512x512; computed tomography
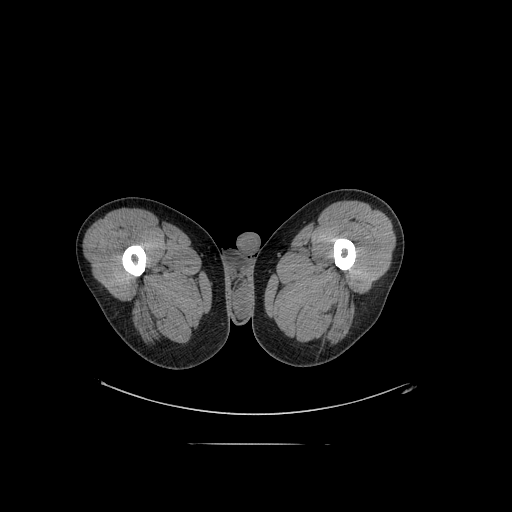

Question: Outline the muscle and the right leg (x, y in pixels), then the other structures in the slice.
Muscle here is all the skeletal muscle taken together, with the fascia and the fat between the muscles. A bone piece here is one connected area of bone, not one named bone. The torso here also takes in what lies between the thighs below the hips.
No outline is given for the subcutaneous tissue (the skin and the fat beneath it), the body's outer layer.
Answer: {"muscle":[{"outer":[[345,199],[364,201],[373,208],[381,210],[391,220],[396,237],[392,261],[385,274],[364,297],[355,314],[349,333],[341,341],[321,347],[301,347],[283,337],[265,318],[263,305],[264,290],[273,267],[289,248],[293,237],[326,206],[335,201]],"hole":[[337,237],[344,237],[345,238],[347,238],[351,240],[355,246],[355,248],[356,249],[356,257],[355,258],[355,261],[350,269],[348,270],[341,270],[338,268],[334,263],[334,259],[332,256],[333,254],[333,241],[332,240],[334,238],[336,238]]},{"outer":[[120,207],[139,207],[167,218],[187,230],[204,247],[215,282],[214,297],[201,334],[191,344],[164,350],[151,350],[145,347],[140,337],[135,332],[131,318],[126,310],[92,275],[83,254],[82,242],[85,232],[97,219],[103,217],[107,212]],"hole":[[132,244],[140,244],[143,247],[143,248],[145,251],[145,253],[146,254],[146,267],[145,268],[145,270],[140,276],[134,276],[130,273],[127,272],[123,267],[123,265],[122,264],[122,261],[121,260],[121,256],[123,253],[123,251],[128,246],[129,246]]}],"right_leg":[[[126,196],[150,198],[173,207],[201,225],[219,247],[223,261],[223,281],[227,291],[230,331],[227,340],[221,349],[211,358],[197,366],[179,370],[167,369],[148,362],[134,352],[109,324],[81,276],[76,260],[75,240],[82,222],[100,205],[113,199]]],"bones":[[[337,237],[344,237],[345,238],[347,238],[351,240],[355,246],[355,248],[356,249],[356,257],[355,258],[355,261],[350,269],[348,270],[341,270],[338,268],[334,263],[334,259],[332,256],[333,254],[333,241],[332,240],[334,238],[336,238]],[[132,244],[140,244],[143,247],[143,248],[145,251],[145,253],[146,254],[146,267],[145,268],[145,270],[140,276],[134,276],[130,273],[127,272],[123,267],[123,265],[122,264],[122,261],[121,260],[121,256],[123,253],[123,251],[128,246],[129,246]]],"torso":[[[244,231],[256,232],[260,236],[261,243],[264,244],[255,258],[252,269],[253,286],[252,326],[249,320],[244,325],[241,326],[238,326],[231,322],[229,312],[228,291],[224,281],[224,261],[222,252],[220,249],[220,247],[234,248],[236,246],[237,236]]],"left_leg":[[[339,188],[357,188],[365,190],[375,194],[390,205],[397,215],[404,233],[405,247],[401,267],[377,321],[350,348],[335,359],[320,365],[311,367],[291,366],[270,356],[259,345],[254,337],[252,331],[254,265],[265,242],[288,217],[313,198],[325,192]]]}